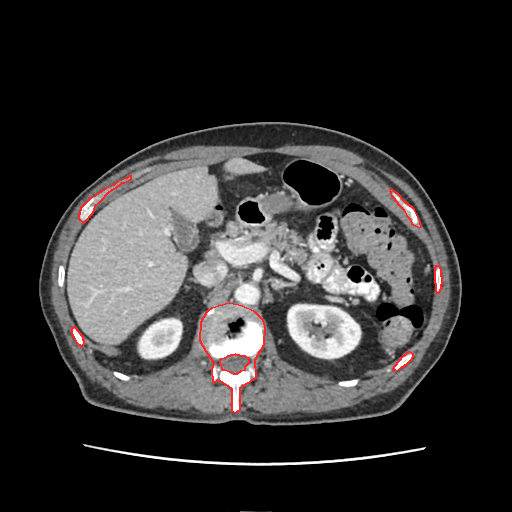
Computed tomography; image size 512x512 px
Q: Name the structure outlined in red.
A: red: bones.
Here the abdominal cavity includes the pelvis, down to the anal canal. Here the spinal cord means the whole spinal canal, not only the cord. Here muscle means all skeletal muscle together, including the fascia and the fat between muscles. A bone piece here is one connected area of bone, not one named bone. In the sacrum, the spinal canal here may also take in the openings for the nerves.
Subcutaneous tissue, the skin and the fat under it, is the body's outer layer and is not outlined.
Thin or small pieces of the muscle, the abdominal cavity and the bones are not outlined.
The bones appear in 6 outlined pieces: piece 1: 235 412; 240 409; 240 387; 256 377; 255 359; 264 344; 265 326; 263 320; 255 312; 242 306; 229 303; 211 308; 206 312; 200 322; 199 340; 213 363; 211 369; 212 381; 214 382; 218 379; 231 388; 231 410; inner edge: 233 373; 237 373; 241 370; 245 369; 245 366; 249 362; 249 359; 245 356; 240 356; 239 355; 236 355; 235 354; 233 355; 230 355; 229 356; 227 356; 224 358; 220 359; 219 360; 219 363; 220 364; 221 368; 222 369; 225 369; piece 2: 83 222; 85 221; 92 213; 94 210; 95 205; 100 201; 109 191; 119 185; 122 182; 124 182; 130 179; 131 178; 131 176; 128 176; 126 178; 116 182; 113 185; 104 189; 94 196; 91 197; 80 208; 80 210; 79 211; 78 218; piece 3: 419 227; 421 226; 420 224; 420 221; 414 209; 411 206; 410 206; 407 203; 406 203; 397 193; 396 193; 394 191; 390 189; 389 190; 390 191; 390 193; 391 195; 397 202; 397 203; 403 209; 406 215; 409 218; 411 223; piece 4: 436 292; 438 292; 440 290; 440 289; 441 288; 441 284; 442 283; 442 277; 441 276; 441 269; 440 268; 440 267; 439 266; 435 266; 435 267; 434 268; 434 282; 435 283; 435 291; piece 5: 395 370; 400 368; 402 366; 403 366; 405 364; 406 364; 412 358; 412 357; 413 356; 413 354; 410 352; 408 352; 407 353; 406 353; 403 356; 402 356; 400 358; 400 359; 396 363; 396 364; 393 367; 393 368; 392 369; 394 369; piece 6: 80 345; 82 345; 84 343; 84 341; 83 340; 83 337; 81 335; 81 334; 77 330; 77 329; 75 327; 73 327; 72 328; 71 328; 71 333; 72 334; 72 335; 73 336; 73 337; 74 338; 75 341; 78 344; 79 344. The torso is outlined by 255 425; 328 423; 392 412; 440 358; 459 315; 460 266; 431 198; 400 162; 344 132; 305 123; 261 121; 218 125; 160 140; 119 161; 85 187; 61 215; 44 252; 38 279; 41 310; 57 349; 87 402; 158 419; 194 423; 244 420. The abdominal cavity is outlined by 338 380; 397 361; 421 336; 434 290; 433 267; 424 244; 361 180; 308 156; 273 152; 234 156; 152 176; 96 209; 84 222; 68 256; 65 295; 87 347; 104 365; 127 374; 166 367; 187 354; 209 308; 232 302; 264 320; 282 359. The spinal cord is outlined by 233 373; 237 373; 241 370; 245 369; 245 366; 249 362; 249 359; 245 356; 240 356; 239 355; 236 355; 235 354; 233 355; 230 355; 229 356; 227 356; 224 358; 220 359; 219 360; 219 363; 220 364; 221 368; 222 369; 225 369. The muscle is outlined by 268 418; 288 418; 352 406; 392 391; 419 365; 442 325; 450 299; 450 271; 444 245; 419 196; 404 180; 369 160; 349 150; 327 145; 287 144; 275 148; 191 146; 146 158; 104 180; 79 202; 59 235; 51 269; 51 302; 67 343; 90 380; 103 390; 143 408; 231 413; 231 391; 218 380; 211 381; 212 363; 199 343; 198 327; 185 357; 156 372; 129 375; 131 378; 126 382; 115 377; 85 344; 78 345; 70 333; 70 328; 75 326; 67 308; 64 287; 60 288; 56 279; 57 268; 61 263; 65 266; 73 240; 83 224; 77 218; 79 208; 91 196; 128 175; 132 178; 109 192; 95 209; 152 175; 185 165; 212 163; 234 155; 266 151; 308 155; 354 175; 371 187; 425 244; 433 266; 441 267; 442 288; 438 293; 434 291; 428 324; 420 339; 408 351; 414 354; 413 358; 396 371; 391 369; 395 362; 367 373; 353 387; 340 387; 337 380; 302 371; 282 360; 265 323; 265 344; 256 359; 257 377; 241 387; 241 409; 237 412 with a hole at 419 227; 421 226; 420 224; 420 221; 414 209; 411 206; 410 206; 407 203; 406 203; 397 193; 396 193; 394 191; 390 189; 389 191; 391 195; 397 202; 397 203; 403 209; 406 215; 409 218; 411 223.